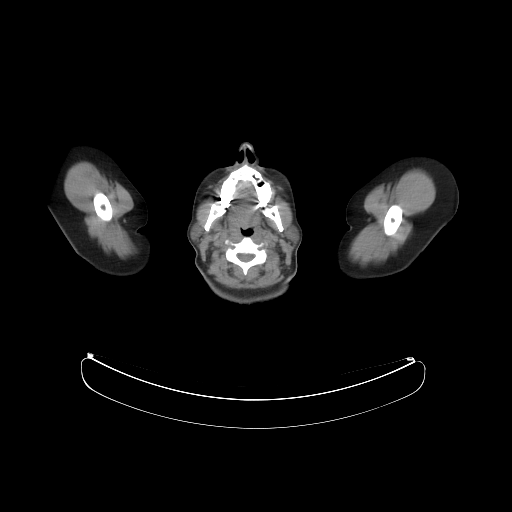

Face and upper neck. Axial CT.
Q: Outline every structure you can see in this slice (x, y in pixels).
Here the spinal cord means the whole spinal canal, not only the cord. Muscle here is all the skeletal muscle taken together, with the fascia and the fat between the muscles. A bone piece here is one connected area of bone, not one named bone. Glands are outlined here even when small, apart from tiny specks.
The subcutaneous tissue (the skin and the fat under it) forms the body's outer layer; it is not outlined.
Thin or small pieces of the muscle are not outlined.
A: Outlines:
head and neck: 243 141; 252 145; 262 166; 274 167; 289 179; 303 232; 297 250; 297 271; 288 292; 274 300; 251 305; 222 301; 210 291; 194 263; 195 252; 186 236; 194 195; 201 179; 216 167; 230 165; 235 158; 241 161; 243 151; 237 149 with holes at 249 228; 252 228; 252 232; 251 233; 251 234; 250 234; 249 235; 245 235; 242 232; 242 231; 241 230; 241 229; 242 229; 243 230; 246 230; 247 229; 248 229 and at 248 150; 249 150; 251 152; 251 153; 252 154; 252 155; 253 156; 253 158; 254 159; 254 160; 253 160; 252 161; 249 161; 249 159; 248 158; 248 157; 247 156; 247 151
right arm: 76 143; 91 144; 109 154; 140 192; 146 202; 148 219; 139 231; 149 237; 152 253; 151 259; 147 266; 135 275; 126 277; 108 275; 98 271; 79 257; 60 230; 42 198; 36 175; 38 165; 42 160; 51 156; 62 148
spinal cord: 238 254; 252 254; 253 255; 253 257; 250 260; 249 260; 248 261; 243 261; 242 260; 241 260; 238 257
muscle 1: 251 165; 263 169; 284 188; 292 223; 283 234; 294 246; 282 281; 267 288; 234 289; 206 272; 196 243; 226 212; 238 186; 251 186; 258 201; 253 208; 262 207; 261 212; 277 230; 284 230; 278 205; 267 205; 274 193; 270 181 with a hole at 249 228; 252 228; 252 232; 249 236; 254 242; 264 242; 266 244; 266 259; 262 264; 251 266; 247 273; 244 274; 242 269; 237 264; 226 259; 225 251; 227 245; 225 240; 228 239; 232 242; 238 242; 245 235; 241 229; 246 230
muscle 2: 415 167; 426 170; 432 176; 436 186; 436 196; 433 203; 424 212; 411 236; 398 250; 396 256; 392 256; 378 267; 361 268; 353 265; 347 256; 347 251; 351 241; 366 221; 366 214; 363 209; 365 196; 375 186; 390 179; 400 171; inner edge: 393 204; 397 204; 398 205; 399 205; 402 208; 402 220; 401 221; 395 234; 394 235; 389 236; 388 235; 386 235; 384 233; 384 230; 383 229; 383 220; 384 219; 384 217; 386 214; 386 212; 387 211; 387 210; 389 208; 389 207
muscle 3: 81 160; 89 161; 105 171; 118 181; 130 193; 134 202; 134 207; 128 214; 126 228; 138 248; 137 253; 125 259; 114 259; 97 248; 95 244; 89 239; 84 224; 82 223; 79 215; 65 196; 63 189; 63 181; 67 169; 72 164; inner edge: 98 191; 100 191; 104 194; 105 194; 107 196; 107 197; 110 202; 110 204; 111 205; 111 207; 112 208; 112 217; 109 221; 103 221; 96 214; 96 212; 95 211; 95 209; 94 208; 94 206; 93 205; 93 197; 94 196; 95 193
muscle 4: 239 165; 241 165; 236 168; 232 169; 222 181; 220 185; 220 190; 218 193; 219 198; 217 200; 213 201; 210 204; 203 225; 202 226; 200 223; 196 222; 198 200; 200 195; 202 194; 202 192; 204 191; 210 183; 222 176; 227 170
left arm: 412 153; 423 153; 434 156; 445 163; 454 173; 459 187; 459 203; 455 215; 411 265; 402 272; 388 277; 371 280; 356 281; 348 279; 338 269; 335 260; 335 254; 338 242; 348 228; 345 211; 350 197; 356 190; 388 163; 396 158
parotid glands 1: 292 224; 293 224; 297 228; 298 230; 298 234; 299 235; 298 237; 298 239; 297 241; 294 244; 294 245; 293 245; 291 243; 289 243; 286 240; 285 238; 285 235; 284 234; 285 229; 286 229; 290 225
parotid glands 2: 196 223; 198 223; 199 224; 200 224; 201 225; 201 226; 203 228; 203 234; 202 235; 202 236; 198 240; 198 241; 197 242; 195 242; 192 239; 192 238; 191 237; 191 229; 192 228; 192 226; 194 224; 195 224
bones 1: 243 164; 255 168; 269 181; 273 193; 266 205; 277 205; 282 231; 262 212; 262 206; 254 208; 259 201; 251 185; 238 185; 235 197; 229 202; 225 212; 212 222; 208 231; 204 229; 211 204; 220 198; 223 181; 232 170
bones 2: 244 236; 249 236; 256 243; 264 242; 266 244; 265 245; 266 251; 265 261; 262 264; 257 264; 251 266; 248 269; 246 274; 243 273; 242 269; 237 264; 228 261; 225 256; 225 251; 227 247; 225 240; 228 239; 232 242; 238 242, around a hole outlined by 238 254; 252 254; 253 255; 253 257; 250 260; 249 260; 248 261; 243 261; 242 260; 241 260; 238 257
bones 3: 393 204; 397 204; 398 205; 399 205; 402 208; 402 220; 401 221; 395 234; 394 235; 389 236; 388 235; 386 235; 384 233; 384 230; 383 229; 383 220; 384 219; 384 217; 386 214; 386 212; 387 211; 387 210; 389 208; 389 207
bones 4: 98 191; 100 191; 104 194; 105 194; 107 196; 107 197; 110 202; 110 204; 111 205; 111 207; 112 208; 112 217; 109 221; 103 221; 96 214; 96 212; 95 211; 95 209; 94 208; 94 206; 93 205; 93 197; 94 196; 95 193